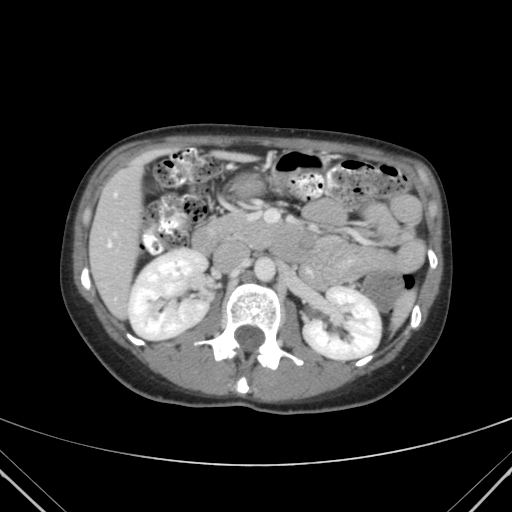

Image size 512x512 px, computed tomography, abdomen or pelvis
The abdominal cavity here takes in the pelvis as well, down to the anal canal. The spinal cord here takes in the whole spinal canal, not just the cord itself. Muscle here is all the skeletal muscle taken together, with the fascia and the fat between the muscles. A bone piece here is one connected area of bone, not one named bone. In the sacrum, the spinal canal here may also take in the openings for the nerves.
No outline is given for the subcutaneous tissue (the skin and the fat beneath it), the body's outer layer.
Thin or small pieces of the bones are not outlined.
Outlined structures:
torso: [[285,416],[336,412],[373,403],[410,377],[435,347],[446,322],[453,276],[449,208],[437,170],[423,154],[409,147],[329,129],[195,122],[150,128],[114,142],[83,174],[64,223],[59,286],[66,311],[79,335],[112,376],[148,399],[190,407],[244,406]]
spinal cord: [[248,352],[252,352],[253,351],[255,351],[257,347],[263,342],[264,340],[264,335],[263,334],[263,332],[259,328],[255,326],[244,325],[243,326],[240,326],[236,329],[234,333],[234,336],[237,341],[240,344],[241,348],[243,350],[247,351]]
muscle: [[267,403],[289,403],[299,401],[312,396],[315,396],[328,391],[337,389],[346,383],[354,380],[359,376],[365,374],[370,374],[374,370],[393,361],[403,350],[404,347],[411,338],[413,337],[415,333],[422,327],[427,318],[428,312],[432,306],[436,296],[439,293],[440,283],[443,275],[443,254],[442,253],[443,211],[442,210],[440,193],[436,181],[431,171],[423,162],[418,159],[401,154],[395,154],[391,152],[387,152],[379,148],[359,145],[358,144],[352,144],[346,142],[317,140],[316,139],[298,138],[297,137],[224,135],[223,134],[217,134],[216,135],[214,134],[176,134],[175,135],[167,135],[161,137],[153,137],[152,138],[145,138],[135,140],[125,143],[117,147],[109,153],[99,163],[93,171],[83,191],[74,218],[73,241],[72,242],[72,267],[73,268],[73,279],[78,293],[91,306],[95,316],[108,336],[120,346],[127,349],[137,359],[154,373],[160,375],[170,382],[184,389],[187,389],[189,392],[193,392],[199,395],[204,396],[239,396],[252,399],[259,402],[266,402]] with holes at [[273,370],[283,356],[303,363],[276,342],[280,302],[287,298],[296,304],[303,342],[326,358],[355,366],[367,363],[409,321],[411,328],[419,325],[416,300],[427,266],[434,269],[437,258],[428,247],[417,189],[398,168],[351,153],[250,144],[146,151],[101,190],[88,229],[82,286],[88,290],[93,284],[108,312],[128,330],[128,339],[142,346],[195,327],[219,292],[224,329],[193,344],[209,344],[216,361],[254,357]] and at [[240,393],[246,393],[248,391],[248,390],[249,389],[249,387],[247,384],[247,381],[246,380],[246,378],[244,376],[241,376],[239,378],[239,379],[236,382],[236,383],[235,384],[235,386],[234,387],[234,388],[235,389],[235,390],[237,392],[239,392]] and at [[85,224],[86,224],[86,223],[87,222],[87,220],[88,219],[88,217],[89,216],[89,214],[90,213],[90,208],[89,207],[86,207],[86,208],[84,210],[84,212],[83,213],[83,216],[82,217],[82,221],[83,222],[83,223],[84,223]] and at [[432,217],[433,217],[435,215],[435,213],[436,212],[436,206],[435,205],[435,204],[434,203],[434,202],[433,201],[430,201],[429,202],[429,210],[430,211],[430,214],[431,215],[431,216]]
abdominal cavity: [[348,362],[380,349],[403,329],[427,269],[421,201],[404,172],[351,153],[214,145],[148,150],[104,184],[88,229],[88,266],[100,300],[129,331],[147,343],[171,339],[201,322],[216,293],[222,294],[223,307],[237,284],[254,281],[296,304],[306,345]]
bones 1: [[273,370],[277,368],[283,356],[290,358],[297,365],[303,363],[276,342],[282,314],[279,298],[275,291],[267,286],[254,282],[239,284],[224,303],[223,331],[212,338],[198,340],[193,344],[209,344],[216,361],[231,359],[237,355],[254,357],[262,366]]; inner edge: [[248,352],[252,352],[253,351],[255,351],[257,347],[263,342],[264,340],[264,335],[263,334],[263,332],[259,328],[255,326],[244,325],[243,326],[240,326],[236,329],[234,333],[234,336],[237,341],[240,344],[241,348],[243,350],[247,351]]
bones 2: [[240,393],[246,393],[248,391],[248,390],[249,389],[249,387],[247,384],[247,381],[246,380],[246,378],[244,376],[241,376],[239,378],[239,379],[236,382],[236,383],[235,384],[235,386],[234,387],[234,388],[235,389],[235,390],[237,392],[239,392]]
bones 3: [[142,346],[144,346],[146,344],[146,343],[143,340],[142,340],[140,338],[139,338],[138,337],[135,336],[133,334],[132,334],[130,332],[129,332],[128,331],[126,333],[126,336],[128,338],[128,339],[132,343],[133,343],[135,345],[141,345]]
bones 4: [[355,366],[362,366],[366,363],[367,363],[373,357],[373,355],[372,354],[373,352],[372,351],[374,350],[374,348],[374,349],[372,350],[371,352],[370,352],[365,356],[357,360],[354,363],[354,365]]